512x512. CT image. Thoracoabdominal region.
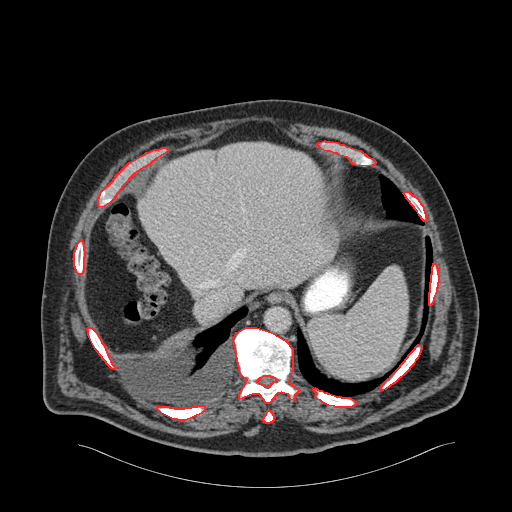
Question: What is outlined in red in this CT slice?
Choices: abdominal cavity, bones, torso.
Answer: red: bones.
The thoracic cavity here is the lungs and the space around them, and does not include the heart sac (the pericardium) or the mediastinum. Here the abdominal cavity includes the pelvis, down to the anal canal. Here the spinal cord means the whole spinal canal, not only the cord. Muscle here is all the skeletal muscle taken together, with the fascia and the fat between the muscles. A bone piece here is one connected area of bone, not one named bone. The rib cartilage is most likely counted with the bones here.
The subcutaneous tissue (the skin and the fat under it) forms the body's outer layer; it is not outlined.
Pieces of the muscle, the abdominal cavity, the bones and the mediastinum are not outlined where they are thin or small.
The bones appear in 11 outlined pieces: piece 1: [[245,327],[256,327],[271,332],[285,340],[292,348],[292,371],[287,381],[299,390],[294,395],[293,400],[290,399],[288,394],[281,392],[277,393],[269,403],[266,403],[259,394],[252,394],[239,399],[239,394],[247,380],[240,374],[233,339],[236,332]] with a hole at [[264,375],[269,375],[270,376],[272,376],[273,377],[274,377],[276,379],[276,381],[275,381],[274,382],[273,382],[268,387],[266,387],[265,386],[264,386],[263,385],[262,385],[261,384],[260,384],[257,382],[257,380],[260,377],[261,377]]; piece 2: [[162,147],[165,147],[167,149],[167,151],[165,153],[156,158],[145,167],[143,167],[134,173],[122,186],[113,199],[109,203],[102,207],[98,206],[98,200],[101,191],[112,181],[116,175],[129,162],[144,154],[146,152],[148,152],[154,149],[158,149]]; piece 3: [[324,140],[325,141],[337,142],[340,144],[343,144],[346,146],[360,150],[366,155],[372,158],[375,161],[375,163],[371,166],[355,165],[353,164],[347,157],[339,155],[337,153],[334,153],[330,151],[326,151],[321,149],[317,144],[319,142]]; piece 4: [[198,405],[204,405],[204,409],[203,411],[201,413],[185,420],[178,420],[177,419],[173,419],[161,413],[156,408],[157,406],[168,406],[169,407],[173,407],[174,408],[184,408],[185,407],[191,407],[192,406],[197,406]]; piece 5: [[418,344],[421,345],[421,349],[420,350],[420,352],[417,358],[415,360],[413,364],[409,368],[409,369],[394,383],[393,383],[385,389],[383,390],[380,390],[380,388],[383,383],[388,378],[389,378],[390,376],[400,366],[400,365],[405,360],[405,359]]; piece 6: [[314,387],[319,390],[321,390],[324,392],[326,392],[327,393],[329,393],[336,396],[340,396],[341,397],[349,397],[355,401],[355,404],[351,407],[335,407],[334,406],[328,405],[322,402],[320,400],[317,399],[315,397],[316,393],[313,390],[313,388]]; piece 7: [[88,327],[91,327],[93,329],[94,329],[94,330],[96,332],[101,342],[103,344],[107,354],[109,356],[108,357],[110,361],[115,368],[114,369],[111,368],[106,363],[106,362],[102,358],[102,357],[95,349],[88,335],[88,331],[87,330],[87,328]]; piece 8: [[80,240],[81,240],[83,243],[83,249],[84,250],[84,257],[83,258],[83,271],[81,274],[78,274],[76,272],[76,270],[75,269],[75,267],[74,266],[74,260],[73,259],[73,258],[74,257],[74,251],[76,248],[76,246],[77,245],[78,242]]; piece 9: [[433,263],[435,263],[436,264],[436,267],[437,268],[437,273],[438,274],[438,282],[437,283],[437,287],[436,288],[436,291],[433,297],[433,300],[431,304],[429,305],[429,292],[430,291],[430,282],[431,281],[431,274],[432,273],[432,266],[433,265]]; piece 10: [[404,191],[408,191],[412,195],[413,195],[418,199],[418,200],[422,205],[423,207],[423,209],[424,210],[424,212],[425,213],[425,217],[426,219],[424,221],[421,218],[421,217],[419,215],[417,211],[414,208],[414,207],[406,198],[406,197],[403,193]]; piece 11: [[268,410],[270,410],[270,411],[272,413],[272,414],[273,415],[273,416],[274,417],[274,418],[273,419],[273,420],[271,422],[270,422],[269,423],[266,423],[265,422],[264,422],[264,421],[263,420],[263,418],[264,417],[264,416],[266,414],[266,412]]. The torso is outlined by [[272,98],[323,104],[375,120],[407,140],[438,178],[457,221],[479,302],[473,361],[460,400],[442,413],[380,437],[317,453],[283,457],[195,452],[144,439],[93,417],[51,412],[42,397],[40,306],[50,224],[75,167],[99,141],[134,122],[204,107]]. The thoracic cavity appears in 3 outlined pieces: piece 1: [[242,307],[247,308],[247,313],[237,322],[236,331],[232,339],[235,348],[236,362],[231,379],[225,388],[215,397],[197,405],[174,407],[157,404],[144,398],[129,387],[109,357],[118,359],[165,358],[174,353],[184,344],[192,342],[198,334],[215,326]]; piece 2: [[426,236],[429,237],[432,248],[428,308],[425,327],[415,347],[389,377],[364,393],[351,397],[341,396],[309,383],[298,368],[292,366],[293,355],[297,351],[299,328],[314,367],[330,380],[344,384],[367,382],[384,376],[400,361],[416,337],[422,321]]; piece 3: [[380,174],[382,174],[386,176],[391,180],[416,211],[420,218],[423,221],[423,224],[416,223],[413,221],[410,221],[409,220],[397,219],[396,218],[388,217],[387,216],[387,214],[382,203],[382,190],[381,189],[381,182],[379,177]]. The mediastinum appears in 2 outlined pieces: piece 1: [[341,156],[347,158],[355,166],[373,168],[381,173],[379,174],[378,177],[380,182],[380,189],[381,190],[381,203],[387,217],[386,220],[364,220],[363,219],[358,219],[353,216],[346,208],[343,201],[343,187],[342,186],[342,182],[343,181],[343,162]]; piece 2: [[274,291],[284,293],[288,296],[292,307],[297,316],[298,328],[296,332],[296,351],[295,353],[291,345],[285,339],[264,328],[260,328],[256,326],[245,326],[236,330],[238,322],[248,313],[247,304],[249,302],[254,300],[258,296],[264,294],[268,294]]. The abdominal cavity is outlined by [[248,122],[272,124],[300,144],[340,156],[342,201],[356,219],[392,218],[423,226],[427,235],[419,329],[384,375],[344,383],[322,374],[289,296],[275,290],[258,295],[165,357],[108,354],[88,311],[84,283],[98,216],[134,174],[167,152],[208,143]]. The muscle is outlined by [[248,116],[269,116],[274,118],[285,119],[291,122],[300,122],[306,125],[316,125],[320,127],[331,127],[344,130],[359,137],[388,158],[405,177],[419,189],[433,215],[433,219],[440,233],[440,238],[443,246],[442,254],[445,258],[448,267],[451,283],[455,288],[456,296],[462,315],[461,323],[463,336],[461,348],[461,361],[456,375],[446,386],[434,394],[412,405],[390,414],[378,421],[372,422],[353,430],[333,433],[317,433],[304,428],[299,423],[293,420],[286,419],[284,421],[271,423],[275,417],[271,410],[268,409],[262,418],[263,422],[265,423],[254,435],[246,436],[242,434],[241,431],[237,431],[203,438],[182,436],[160,431],[131,419],[103,404],[86,399],[69,397],[61,392],[57,383],[59,336],[61,332],[59,328],[58,319],[60,315],[60,308],[62,305],[63,295],[66,288],[70,285],[68,276],[69,260],[71,254],[69,250],[69,242],[82,209],[93,191],[108,173],[110,168],[121,157],[137,145],[147,141],[161,132],[170,130],[173,127],[205,123],[226,118],[241,118]], around holes outlined by [[248,122],[272,124],[310,147],[318,148],[317,144],[324,140],[360,150],[375,161],[370,168],[386,176],[402,193],[408,191],[416,197],[425,213],[422,225],[437,268],[436,291],[413,364],[385,389],[380,390],[381,383],[352,396],[355,404],[351,407],[335,407],[317,399],[314,386],[293,366],[287,378],[299,390],[293,400],[281,392],[269,403],[259,394],[239,399],[247,380],[236,362],[225,388],[214,400],[199,404],[204,405],[201,413],[185,420],[173,419],[156,408],[160,404],[132,390],[106,363],[88,335],[88,327],[96,328],[86,302],[84,273],[91,232],[104,209],[98,206],[99,195],[129,162],[146,152],[162,147],[168,152],[187,150]] and by [[80,240],[81,240],[83,243],[83,249],[84,250],[84,257],[83,258],[83,271],[81,274],[78,274],[76,272],[76,270],[75,269],[75,267],[74,266],[74,260],[73,259],[73,258],[74,257],[74,251],[76,248],[76,246],[77,245],[78,242]]. The spinal cord is outlined by [[264,375],[269,375],[270,376],[272,376],[273,377],[274,377],[276,379],[276,381],[275,381],[274,382],[273,382],[268,387],[266,387],[265,386],[264,386],[263,385],[262,385],[261,384],[260,384],[257,382],[257,380],[260,377],[261,377]].